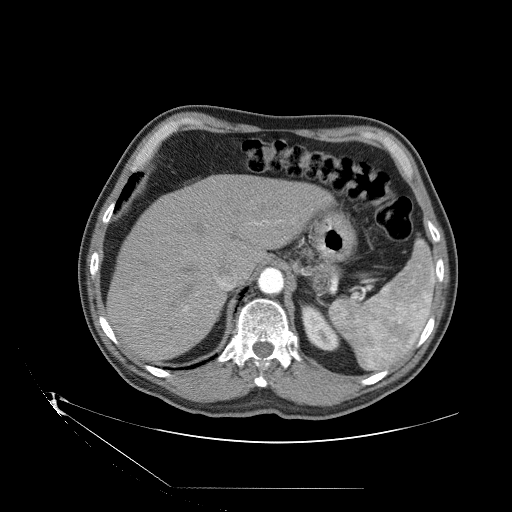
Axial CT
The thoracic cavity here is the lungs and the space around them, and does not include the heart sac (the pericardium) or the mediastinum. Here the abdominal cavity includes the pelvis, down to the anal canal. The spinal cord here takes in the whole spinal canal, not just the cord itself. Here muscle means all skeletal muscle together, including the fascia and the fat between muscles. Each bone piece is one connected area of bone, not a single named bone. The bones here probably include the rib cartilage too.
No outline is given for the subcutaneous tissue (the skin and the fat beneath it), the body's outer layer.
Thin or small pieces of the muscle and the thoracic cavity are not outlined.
Outlines (x, y in pixels):
abdominal cavity: [[184,130],[359,141],[383,148],[397,160],[424,209],[437,280],[431,314],[403,359],[366,377],[338,375],[309,362],[283,308],[286,274],[271,264],[238,293],[233,333],[209,359],[159,367],[124,348],[105,317],[100,291],[106,229],[158,144]]
torso: [[186,104],[271,115],[362,115],[393,126],[412,143],[453,231],[458,283],[448,327],[430,359],[409,382],[361,410],[329,420],[288,420],[274,413],[212,418],[184,412],[138,391],[107,361],[89,331],[79,296],[82,234],[102,187],[135,134],[161,112]]
thoracic cavity 1: [[136,172],[140,174],[138,176],[137,179],[135,180],[135,182],[134,183],[133,188],[131,190],[131,192],[129,194],[129,195],[121,202],[119,207],[115,211],[114,211],[115,210],[116,201],[118,199],[122,191],[122,189],[124,187],[128,179],[134,173]]
thoracic cavity 2: [[246,287],[248,287],[248,289],[246,293],[240,300],[239,302],[239,304],[236,309],[236,312],[234,312],[235,310],[235,308],[236,307],[236,305],[238,304],[238,302],[241,297],[241,295],[239,294],[239,293]]
spinal cord: [[256,342],[268,342],[269,343],[270,343],[273,346],[273,349],[272,350],[272,351],[271,352],[271,353],[269,355],[268,355],[267,356],[265,356],[264,357],[261,357],[260,356],[258,356],[254,352],[254,351],[253,350],[253,345]]
mediastinum: [[265,265],[271,265],[274,266],[283,271],[285,274],[284,294],[283,295],[284,307],[283,307],[277,301],[265,297],[255,297],[246,302],[240,308],[239,312],[237,312],[237,309],[240,304],[241,300],[247,293],[248,290],[254,284],[258,277],[260,270]]
muscle: [[186,111],[261,128],[374,126],[391,133],[410,152],[444,234],[449,283],[436,332],[422,357],[405,375],[332,406],[297,404],[279,397],[266,387],[268,382],[263,375],[272,360],[286,369],[293,359],[300,362],[303,357],[338,376],[365,377],[359,382],[369,386],[384,378],[390,368],[420,347],[433,331],[435,318],[431,315],[438,282],[444,279],[444,262],[441,257],[437,259],[435,245],[440,232],[426,220],[425,209],[409,180],[413,169],[405,152],[388,135],[368,130],[360,135],[384,148],[359,140],[325,141],[287,131],[178,131],[181,126],[202,122],[191,116],[171,119],[158,127],[136,154],[129,167],[133,173],[101,217],[107,224],[101,253],[99,256],[96,250],[92,252],[88,267],[92,278],[98,273],[104,314],[98,316],[99,325],[115,345],[119,343],[156,377],[167,378],[172,375],[169,371],[193,369],[215,358],[220,363],[232,360],[239,368],[251,359],[259,370],[253,379],[259,387],[234,399],[196,402],[130,371],[108,350],[95,328],[86,285],[86,258],[97,217],[141,140],[167,117]]
bones 1: [[255,298],[265,298],[282,307],[289,329],[297,336],[298,352],[302,357],[300,361],[293,358],[286,368],[272,359],[262,371],[267,382],[265,387],[257,386],[254,382],[260,370],[251,358],[241,367],[232,359],[223,362],[216,360],[234,333],[241,308]] with a hole at [[256,342],[268,342],[269,343],[270,343],[273,346],[273,349],[272,350],[272,351],[271,352],[271,353],[269,355],[268,355],[267,356],[265,356],[264,357],[261,357],[260,356],[258,356],[254,352],[254,351],[253,350],[253,345]]
bones 2: [[182,117],[195,118],[198,119],[201,122],[197,124],[181,125],[178,128],[177,131],[172,133],[157,144],[150,157],[139,170],[135,172],[132,172],[130,170],[130,167],[133,161],[141,148],[153,133],[158,128],[167,122],[171,120],[176,120]]
bones 3: [[366,131],[373,132],[374,133],[378,133],[379,132],[383,135],[388,136],[401,148],[408,158],[411,165],[412,177],[410,179],[404,175],[403,170],[398,160],[396,159],[380,142],[373,139],[368,139],[365,137],[363,137],[361,135],[362,132],[365,132]]
bones 4: [[430,316],[433,316],[434,318],[434,324],[433,325],[433,328],[432,329],[432,331],[424,341],[424,342],[420,346],[418,347],[415,347],[420,337],[420,335],[422,333],[422,331],[424,329],[424,327],[426,325],[426,323],[428,321],[428,319],[430,317]]
bones 5: [[101,315],[102,316],[103,316],[108,322],[108,323],[109,324],[111,329],[113,331],[113,333],[114,334],[116,339],[118,341],[118,344],[115,344],[106,335],[106,334],[102,329],[102,328],[100,325],[100,323],[99,322],[99,316],[100,316]]
bones 6: [[384,370],[388,370],[388,373],[384,377],[383,377],[381,379],[380,379],[375,383],[373,383],[372,384],[370,384],[369,385],[364,385],[363,384],[362,384],[360,382],[360,381],[362,379],[364,379],[375,373],[377,373],[378,372],[381,372]]
bones 7: [[145,364],[148,364],[152,366],[155,366],[156,367],[158,367],[159,368],[162,368],[165,370],[167,370],[171,374],[171,375],[167,377],[159,377],[158,376],[156,376],[152,374],[145,368],[144,366]]
bones 8: [[94,251],[96,251],[98,253],[98,256],[99,257],[99,263],[98,264],[98,270],[97,271],[96,274],[94,276],[94,277],[92,277],[91,276],[91,274],[90,273],[90,269],[89,268],[89,267],[90,266],[90,260],[91,259],[91,256]]
bones 9: [[427,220],[429,220],[437,228],[437,229],[439,232],[439,240],[437,242],[435,242],[432,240],[432,238],[431,237],[431,235],[430,234],[430,232],[429,231],[429,230],[428,229],[428,227],[426,224],[426,221]]
bones 10: [[114,201],[115,201],[115,205],[114,206],[114,210],[113,211],[113,213],[112,214],[109,221],[107,223],[104,223],[102,221],[102,217],[103,216],[103,214],[104,213],[104,212],[106,210],[106,209],[108,207],[108,206],[112,202],[113,202]]
bones 11: [[439,258],[441,258],[442,259],[442,261],[443,262],[443,279],[442,280],[442,281],[441,281],[440,282],[439,281],[438,281],[438,280],[437,279],[437,277],[436,276],[436,261]]